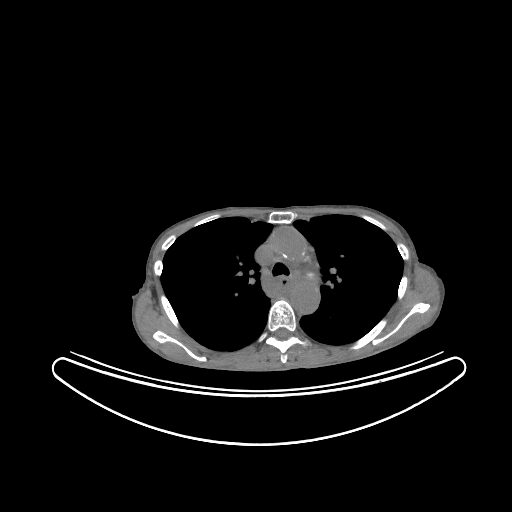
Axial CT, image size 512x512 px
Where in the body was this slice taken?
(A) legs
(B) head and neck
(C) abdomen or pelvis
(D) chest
(D) chest
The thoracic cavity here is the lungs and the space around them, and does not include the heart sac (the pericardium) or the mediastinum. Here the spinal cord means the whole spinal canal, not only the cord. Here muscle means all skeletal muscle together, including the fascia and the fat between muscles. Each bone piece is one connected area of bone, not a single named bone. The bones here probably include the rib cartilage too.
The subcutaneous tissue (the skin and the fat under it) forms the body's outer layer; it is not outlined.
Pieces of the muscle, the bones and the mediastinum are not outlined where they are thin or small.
{"mediastinum":[[[292,222],[294,227],[313,246],[320,267],[322,280],[320,286],[321,297],[319,306],[313,313],[303,315],[299,319],[294,308],[285,298],[278,298],[271,303],[270,299],[262,289],[260,267],[253,256],[256,248],[264,241],[272,229],[272,224],[289,224]]],"torso":[[[326,203],[369,206],[391,216],[406,229],[419,259],[432,266],[445,285],[441,313],[431,327],[395,347],[358,361],[314,369],[265,372],[220,371],[174,363],[152,352],[139,339],[130,317],[131,295],[144,280],[151,244],[166,227],[193,214],[231,205]]],"muscle":[{"outer":[[310,207],[365,209],[392,222],[407,240],[414,260],[428,269],[439,284],[438,308],[427,324],[396,342],[362,356],[312,366],[288,367],[283,364],[269,369],[212,367],[177,361],[146,342],[135,321],[135,304],[149,279],[149,265],[158,241],[177,225],[207,213],[232,208],[274,210],[267,214],[266,220],[251,220],[245,216],[222,217],[220,212],[211,213],[194,222],[179,236],[170,234],[160,246],[165,252],[162,259],[158,258],[153,263],[153,272],[160,277],[164,293],[159,296],[159,301],[166,316],[176,328],[181,326],[203,346],[229,352],[255,341],[264,342],[280,352],[279,360],[285,364],[288,360],[287,350],[295,344],[305,348],[310,346],[312,343],[309,338],[329,345],[350,344],[350,350],[357,350],[368,343],[377,345],[397,332],[413,314],[426,312],[430,304],[416,302],[391,330],[378,337],[388,322],[385,317],[387,312],[396,299],[400,300],[404,296],[408,286],[408,277],[403,273],[404,261],[410,257],[407,246],[401,241],[395,242],[386,232],[387,227],[368,214],[302,215],[288,209]],"hole":[[157,330],[160,330],[171,337],[178,340],[185,345],[194,354],[198,356],[204,356],[206,357],[206,361],[199,361],[193,358],[190,356],[182,347],[176,344],[174,342],[172,342],[171,341],[166,341],[165,342],[160,343],[157,341],[152,335],[153,333]]}],"bones":[{"outer":[[281,298],[285,299],[291,305],[298,320],[299,327],[311,343],[306,347],[298,343],[291,345],[286,350],[287,360],[285,363],[281,362],[281,352],[276,347],[267,344],[264,341],[257,341],[257,339],[266,327],[268,313],[271,304]],"hole":[[279,328],[285,328],[286,329],[287,329],[290,332],[290,335],[287,338],[286,338],[285,339],[279,339],[278,338],[277,338],[275,336],[275,335],[274,334],[274,333],[275,332],[275,331],[276,330],[277,330]]},[[418,302],[428,303],[429,308],[422,313],[420,312],[413,313],[406,319],[398,330],[393,334],[375,345],[371,342],[368,342],[362,347],[357,349],[349,348],[351,343],[367,333],[384,317],[387,322],[377,336],[378,338],[382,337],[391,331],[412,307]],[[275,210],[279,210],[280,211],[290,210],[302,216],[308,216],[309,215],[311,215],[312,216],[308,219],[298,218],[297,219],[295,219],[293,221],[289,223],[270,223],[266,221],[267,220],[268,214],[270,212],[274,211]],[[157,330],[160,330],[171,337],[178,340],[185,345],[194,354],[198,356],[204,356],[206,357],[206,361],[199,361],[193,358],[190,356],[182,347],[176,344],[174,342],[172,342],[171,341],[166,341],[165,342],[160,343],[157,341],[152,335],[153,333]],[[162,294],[164,294],[166,296],[169,303],[171,305],[171,306],[172,307],[172,308],[178,319],[178,321],[180,324],[180,326],[179,327],[176,327],[172,323],[172,322],[167,316],[167,315],[161,304],[161,302],[160,301],[160,296]],[[403,274],[407,277],[407,279],[408,280],[407,281],[407,286],[406,287],[406,289],[404,292],[404,294],[403,295],[403,296],[400,299],[398,299],[397,298],[397,291],[398,290],[398,287],[399,286],[399,283],[400,282],[400,280],[401,279]],[[398,242],[401,242],[402,243],[403,243],[406,246],[406,247],[408,250],[408,254],[409,255],[409,257],[407,260],[403,260],[403,259],[402,258],[402,257],[401,256],[401,255],[400,254],[400,253],[397,248],[397,246],[396,245],[396,243],[397,243]],[[214,213],[220,213],[221,214],[221,217],[219,217],[218,218],[213,219],[210,221],[208,221],[207,222],[205,222],[204,223],[199,224],[193,227],[193,225],[194,223]],[[362,214],[364,214],[365,215],[368,215],[369,216],[378,220],[380,222],[381,222],[386,227],[386,230],[385,231],[381,228],[380,228],[378,226],[375,225],[373,223],[372,223],[371,222],[370,222],[369,221],[360,217],[360,216]],[[172,234],[174,234],[176,236],[176,238],[175,239],[175,240],[173,242],[173,243],[165,251],[163,251],[161,249],[161,246],[162,245],[162,244],[163,243],[163,242],[170,235],[171,235]]],"thoracic_cavity":[[[223,217],[245,217],[251,221],[260,220],[271,224],[271,229],[263,241],[255,248],[252,255],[259,267],[261,289],[270,302],[265,327],[256,340],[241,348],[229,351],[209,348],[198,342],[186,331],[165,294],[161,282],[164,255],[176,239],[194,227]],[[326,214],[356,216],[378,227],[395,243],[403,261],[402,275],[395,300],[382,318],[367,332],[350,343],[329,344],[317,341],[306,335],[299,325],[301,317],[313,314],[320,306],[323,280],[316,250],[295,227],[294,221],[298,219],[308,221],[313,216]]],"spinal_cord":[[[279,328],[285,328],[286,329],[287,329],[290,332],[290,335],[287,338],[286,338],[285,339],[279,339],[278,338],[277,338],[275,336],[275,335],[274,334],[274,333],[275,332],[275,331],[276,330],[277,330]]]}